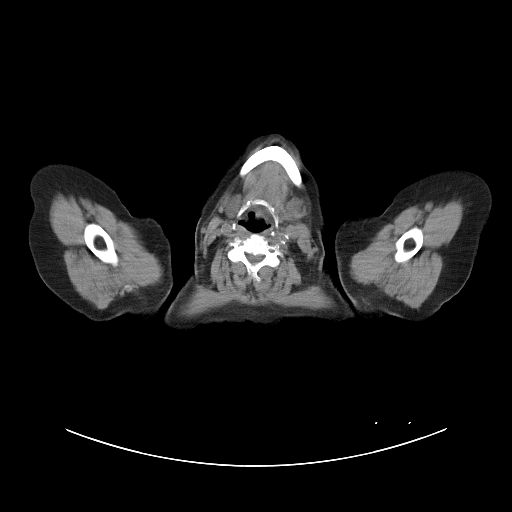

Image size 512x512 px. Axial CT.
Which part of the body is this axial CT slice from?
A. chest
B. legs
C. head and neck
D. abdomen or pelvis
Answer: C. head and neck
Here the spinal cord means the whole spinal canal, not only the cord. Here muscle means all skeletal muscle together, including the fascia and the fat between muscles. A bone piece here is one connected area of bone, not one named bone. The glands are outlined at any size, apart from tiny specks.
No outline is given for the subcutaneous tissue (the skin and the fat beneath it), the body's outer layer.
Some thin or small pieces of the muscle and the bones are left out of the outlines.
left arm: 448 169; 467 170; 481 176; 488 184; 492 194; 489 217; 481 232; 477 253; 467 281; 457 294; 424 320; 410 321; 382 314; 361 317; 343 291; 338 276; 334 260; 333 244; 336 230; 342 222; 354 215; 382 213; 402 188; 431 173
submandibular glands 1: 295 196; 296 197; 298 197; 300 198; 304 203; 304 205; 305 206; 305 215; 304 215; 301 218; 299 219; 297 219; 296 220; 293 220; 292 219; 287 219; 287 218; 284 216; 284 207; 286 203; 290 199; 291 199
submandibular glands 2: 226 194; 237 194; 240 196; 240 204; 239 205; 239 206; 237 208; 235 213; 231 217; 228 217; 223 212; 220 212; 219 211; 218 211; 218 204; 220 202; 220 200; 221 200; 222 199; 222 198; 224 196; 225 196; 226 195
bones 1: 254 232; 264 236; 270 245; 280 242; 280 251; 283 255; 279 257; 277 266; 265 265; 259 269; 257 272; 260 278; 259 281; 248 274; 246 266; 241 261; 232 262; 227 256; 227 252; 231 248; 229 245; 230 241; 235 237; 244 239; inner edge: 246 254; 252 254; 253 255; 263 255; 263 258; 260 261; 259 261; 258 262; 257 262; 256 263; 251 263; 248 260; 248 259; 247 258; 247 256; 246 255
bones 2: 269 145; 279 145; 281 146; 293 158; 302 177; 302 184; 300 187; 297 187; 293 183; 287 174; 285 169; 277 161; 274 160; 264 161; 251 169; 243 176; 240 176; 239 175; 239 169; 247 158; 257 150; 259 150; 265 146; 268 146
bones 3: 91 222; 98 224; 102 228; 103 228; 103 229; 112 239; 114 244; 114 247; 118 257; 118 263; 116 266; 113 266; 109 263; 103 262; 100 259; 99 259; 88 248; 86 245; 84 240; 83 233; 84 232; 85 226; 88 223; 90 223
bones 4: 414 226; 417 226; 421 228; 422 230; 422 232; 423 233; 423 242; 422 243; 422 245; 419 250; 412 257; 404 262; 398 263; 394 260; 394 254; 396 250; 396 248; 395 247; 395 243; 400 237; 400 236; 404 232; 407 231; 410 228
bones 5: 254 199; 263 199; 268 203; 269 203; 274 208; 274 211; 278 217; 278 225; 277 227; 275 226; 274 219; 268 209; 265 206; 261 204; 252 204; 250 205; 249 207; 240 216; 239 218; 237 217; 237 213; 239 209; 248 200; 253 200
spinal cord: 246 254; 252 254; 253 255; 263 255; 263 258; 260 261; 259 261; 258 262; 257 262; 256 263; 251 263; 248 260; 248 259; 247 258; 247 256; 246 255
head and neck: 270 133; 279 133; 294 142; 319 184; 325 227; 322 234; 324 264; 357 317; 342 322; 313 317; 289 319; 269 327; 243 321; 211 323; 186 331; 170 329; 163 322; 164 310; 193 269; 195 228; 206 200; 224 170; 245 146; 256 137; inner edge: 250 211; 254 211; 255 218; 256 219; 262 219; 268 225; 268 227; 267 227; 265 229; 261 231; 259 231; 258 232; 255 232; 254 231; 252 231; 248 229; 243 225; 240 224; 239 221; 240 220; 243 220; 245 219; 248 216; 248 214
right arm: 51 162; 70 163; 89 171; 116 192; 132 215; 151 215; 163 226; 172 245; 174 283; 160 312; 154 316; 128 313; 107 321; 96 322; 87 319; 69 307; 45 285; 36 270; 27 241; 27 222; 32 209; 28 179; 37 167
muscle 1: 273 137; 284 141; 295 152; 301 163; 311 200; 311 232; 318 249; 316 253; 316 275; 319 282; 334 299; 336 305; 328 309; 312 310; 279 305; 248 306; 229 303; 193 317; 178 315; 179 306; 201 279; 203 262; 200 243; 201 228; 238 168; 238 175; 243 177; 260 164; 274 161; 284 169; 297 188; 302 186; 303 177; 296 161; 279 144; 265 145; 254 151; 244 161; 250 150; 259 143 with holes at 250 211; 254 211; 256 219; 262 219; 268 225; 258 232; 270 245; 280 242; 283 255; 279 257; 277 266; 265 265; 259 269; 259 281; 248 274; 241 261; 232 262; 227 256; 231 248; 230 241; 235 237; 244 239; 254 232; 239 222 and at 295 196; 296 197; 298 197; 300 198; 304 203; 304 205; 305 206; 305 215; 304 215; 301 218; 299 219; 297 219; 296 220; 293 220; 292 219; 287 219; 287 218; 284 216; 284 207; 286 203; 290 199; 291 199 and at 226 194; 237 194; 240 196; 240 204; 239 205; 239 206; 237 208; 235 213; 231 217; 228 217; 223 212; 220 212; 219 211; 218 211; 218 204; 220 202; 220 200; 221 200; 222 199; 222 198; 224 196; 225 196; 226 195 and at 254 199; 263 199; 268 203; 269 203; 274 208; 274 211; 278 217; 278 225; 277 227; 275 226; 274 219; 268 209; 265 206; 261 204; 252 204; 250 205; 249 207; 240 216; 239 218; 237 217; 237 213; 239 209; 248 200; 253 200
muscle 2: 57 191; 88 198; 108 208; 135 228; 143 243; 152 253; 155 254; 163 266; 164 273; 162 282; 154 286; 145 298; 116 300; 104 309; 98 309; 82 298; 74 289; 69 279; 63 260; 62 245; 52 230; 49 221; 49 207; 51 199, around holes outlined by 91 222; 98 224; 102 228; 103 228; 103 229; 112 239; 114 244; 114 247; 118 257; 118 263; 116 266; 113 266; 109 263; 103 262; 100 259; 99 259; 88 248; 86 245; 84 240; 83 233; 84 232; 85 226; 88 223; 90 223 and by 126 285; 127 285; 128 285; 129 285; 130 285; 131 285; 132 285; 133 286; 134 287; 133 288; 133 289; 132 290; 131 291; 130 291; 129 291; 128 291; 127 291; 126 290; 125 289; 125 288; 125 287; 125 286
muscle 3: 457 197; 460 197; 464 204; 463 217; 456 233; 447 246; 441 276; 426 303; 423 304; 419 308; 412 308; 381 293; 367 288; 351 278; 349 274; 349 260; 351 255; 364 246; 383 225; 391 221; 403 209; 411 205; 430 200; 456 198, around a hole outlined by 414 226; 417 226; 421 228; 422 230; 422 232; 423 233; 423 242; 422 243; 422 245; 419 250; 412 257; 404 262; 398 263; 394 260; 394 254; 396 250; 396 248; 395 247; 395 243; 400 237; 400 236; 404 232; 407 231; 410 228